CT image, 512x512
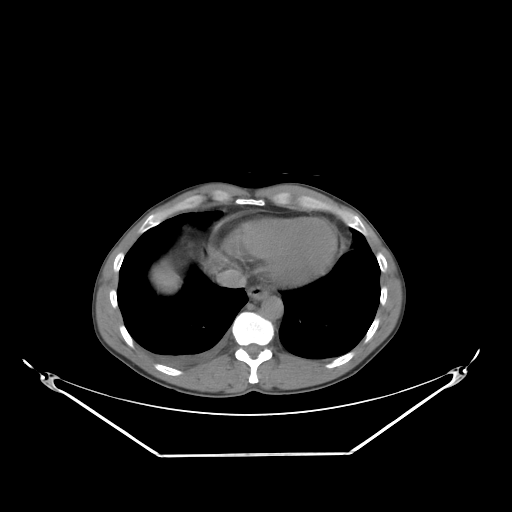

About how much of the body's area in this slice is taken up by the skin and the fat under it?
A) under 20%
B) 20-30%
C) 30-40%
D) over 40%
A) under 20%
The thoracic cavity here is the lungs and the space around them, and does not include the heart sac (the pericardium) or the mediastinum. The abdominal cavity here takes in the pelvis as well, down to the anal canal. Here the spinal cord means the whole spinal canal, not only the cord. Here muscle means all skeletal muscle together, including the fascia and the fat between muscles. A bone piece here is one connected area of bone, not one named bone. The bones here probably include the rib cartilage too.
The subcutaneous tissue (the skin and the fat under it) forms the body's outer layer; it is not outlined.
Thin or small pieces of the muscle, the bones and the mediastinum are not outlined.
{"muscle":[[[207,184],[230,185],[251,193],[279,185],[298,185],[355,211],[391,256],[400,280],[401,306],[390,333],[355,366],[328,381],[293,389],[267,389],[254,384],[259,381],[258,367],[273,356],[270,347],[273,341],[301,358],[333,358],[324,365],[327,369],[347,363],[355,355],[356,345],[362,339],[367,343],[379,326],[376,313],[388,297],[388,288],[380,284],[380,277],[387,271],[388,262],[381,251],[374,253],[366,226],[347,208],[286,190],[272,194],[271,202],[236,197],[228,203],[232,195],[215,188],[208,196],[201,193],[186,196],[145,218],[137,229],[139,236],[129,249],[125,254],[119,251],[113,259],[112,269],[118,274],[118,280],[116,289],[109,290],[108,298],[111,306],[120,311],[123,323],[118,329],[123,340],[132,349],[135,342],[148,352],[157,362],[153,364],[156,370],[179,376],[183,373],[180,369],[198,366],[217,356],[233,338],[237,345],[234,357],[249,367],[247,380],[251,384],[237,392],[182,387],[150,374],[111,347],[102,337],[96,319],[96,297],[107,260],[131,229],[152,210]]],"bones":[{"outer":[[243,311],[254,312],[269,320],[274,326],[275,331],[274,338],[269,344],[269,347],[272,351],[272,356],[270,359],[263,361],[257,367],[256,373],[258,381],[253,384],[248,380],[250,367],[245,362],[235,357],[234,353],[238,345],[230,328],[235,317]],"hole":[[250,344],[256,344],[257,345],[259,345],[262,348],[261,349],[261,350],[257,354],[257,355],[255,357],[252,357],[245,350],[245,349],[244,348],[244,347],[245,347],[246,346],[247,346],[248,345],[249,345]]},[[284,191],[289,192],[295,196],[297,195],[311,196],[351,211],[360,218],[365,226],[369,233],[368,237],[369,242],[362,233],[354,228],[350,227],[339,217],[332,213],[321,210],[302,210],[292,207],[277,205],[273,203],[270,200],[270,197],[278,192]],[[215,189],[224,190],[231,195],[231,200],[227,203],[221,203],[207,197],[199,207],[177,213],[163,220],[155,226],[149,228],[141,234],[138,233],[138,229],[150,214],[167,208],[184,198],[192,195],[201,194],[208,197],[210,193]],[[351,350],[353,350],[354,351],[354,355],[347,362],[346,362],[343,364],[341,364],[340,365],[335,366],[332,368],[327,368],[325,366],[325,365],[327,363],[330,362],[334,358],[335,358],[336,357],[338,357],[341,355],[343,355],[344,354],[347,353]],[[155,363],[159,363],[160,364],[163,364],[164,365],[165,365],[166,366],[168,366],[169,367],[172,367],[173,368],[176,368],[177,369],[179,369],[182,371],[182,373],[179,375],[169,375],[168,374],[166,374],[165,373],[156,369],[154,367],[154,364]],[[236,198],[253,198],[254,199],[263,199],[265,201],[265,204],[264,205],[254,205],[253,204],[237,204],[236,203],[235,203],[234,202],[234,200]],[[375,316],[377,316],[379,318],[379,323],[378,324],[378,326],[377,327],[375,332],[373,334],[372,337],[367,342],[366,342],[365,343],[363,341],[363,338],[364,337],[364,336],[365,335],[367,330],[369,328],[371,323],[373,321]],[[121,324],[123,324],[125,326],[127,331],[129,333],[129,334],[133,339],[133,340],[134,341],[134,347],[133,348],[132,348],[130,346],[129,346],[126,343],[126,342],[124,340],[124,339],[123,338],[123,337],[120,332],[120,330],[119,329],[119,326]],[[377,252],[381,252],[382,253],[382,254],[385,257],[385,259],[387,262],[387,269],[385,272],[381,272],[381,270],[380,269],[380,267],[379,266],[379,264],[377,261],[377,259],[376,258],[376,256],[375,255],[375,254]],[[119,252],[123,252],[124,253],[124,257],[123,258],[123,260],[121,263],[121,265],[119,268],[119,270],[118,271],[118,273],[117,272],[115,272],[113,269],[113,262],[114,261],[114,259],[115,258],[115,257],[116,256],[116,255]]],"thoracic_cavity":[[[205,211],[221,214],[205,226],[184,223],[169,247],[147,268],[147,283],[156,296],[172,297],[195,266],[220,286],[242,288],[247,300],[230,325],[233,337],[217,355],[198,365],[177,368],[158,362],[128,331],[118,305],[119,271],[140,235],[177,214]],[[351,229],[354,229],[365,237],[375,256],[380,270],[379,304],[375,315],[363,337],[352,349],[343,354],[329,358],[307,358],[293,354],[287,351],[278,342],[274,341],[285,311],[282,291],[305,286],[325,276],[338,260],[352,249],[353,233]]],"pericardium":[[[250,209],[268,209],[284,212],[301,212],[326,215],[330,217],[340,227],[343,233],[344,236],[343,251],[341,255],[335,260],[330,269],[324,275],[305,285],[291,289],[282,289],[264,283],[247,272],[209,253],[207,247],[211,229],[216,222],[232,214]]],"spinal_cord":[[[250,344],[256,344],[257,345],[259,345],[262,348],[261,349],[261,350],[257,354],[257,355],[255,357],[252,357],[245,350],[245,349],[244,348],[244,347],[245,347],[246,346],[247,346],[248,345],[249,345]]],"abdominal_cavity":[[[180,233],[195,236],[199,242],[206,246],[207,252],[209,254],[227,263],[214,273],[211,276],[210,280],[195,265],[192,265],[187,272],[181,289],[176,294],[169,297],[156,295],[150,287],[147,280],[146,274],[148,268],[154,260],[158,258],[170,247]]],"mediastinum":[[[227,264],[247,273],[264,284],[269,285],[276,289],[277,288],[284,290],[281,291],[281,297],[284,311],[277,333],[276,333],[275,330],[275,326],[269,319],[254,311],[249,310],[240,311],[248,300],[247,294],[242,287],[223,286],[211,280],[212,276]],[[268,202],[302,211],[321,211],[334,215],[351,228],[351,249],[342,255],[345,236],[341,227],[330,216],[312,212],[268,208],[235,212],[212,225],[206,245],[195,235],[181,233],[186,223],[205,227],[222,214],[219,210],[186,211],[230,203],[264,206]]],"torso":[[[210,180],[244,186],[282,181],[310,184],[354,205],[378,230],[403,273],[406,307],[392,339],[353,376],[299,394],[265,395],[251,391],[230,398],[200,397],[165,388],[142,377],[98,341],[92,327],[91,297],[96,275],[107,252],[150,206],[180,189]]]}